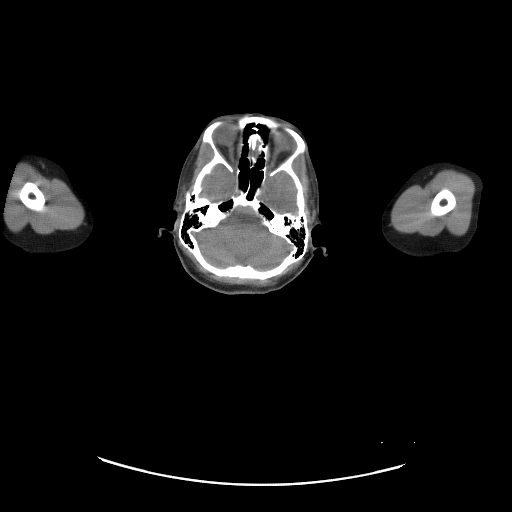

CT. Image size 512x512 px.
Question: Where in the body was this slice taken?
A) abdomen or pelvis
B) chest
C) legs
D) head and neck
Answer: D) head and neck
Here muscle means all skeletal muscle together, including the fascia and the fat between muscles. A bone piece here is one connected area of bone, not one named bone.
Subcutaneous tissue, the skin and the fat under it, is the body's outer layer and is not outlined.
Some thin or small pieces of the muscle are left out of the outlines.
The head is outlined by (242, 111) (272, 114) (302, 131) (317, 177) (323, 223) (312, 230) (311, 237) (328, 255) (316, 249) (296, 278) (261, 295) (230, 295) (201, 285) (183, 268) (172, 235) (163, 230) (157, 236) (160, 227) (171, 229) (174, 225) (171, 206) (179, 174) (205, 126) (218, 115); inner edges: (250, 124) (252, 125) (251, 132) (245, 141) (247, 146) (245, 158) (248, 162) (248, 168) (253, 169) (260, 158) (263, 160) (260, 169) (262, 177) (254, 188) (251, 197) (249, 197) (251, 184) (248, 182) (243, 188) (239, 179) (241, 171) (239, 164) (245, 144) (244, 132), then (258, 125) (263, 125) (264, 126) (265, 126) (267, 128) (267, 139) (266, 140) (265, 140) (264, 139) (264, 138) (262, 136) (262, 135) (260, 133) (260, 129) (259, 128) (259, 127) (258, 126), then (194, 217) (195, 217) (195, 218) (196, 219) (196, 220) (195, 221) (195, 222) (194, 223) (192, 223) (190, 225) (188, 225) (188, 224) (187, 223) (186, 223) (185, 222) (185, 220) (186, 219) (186, 218) (189, 221) (190, 220) (191, 220). The right arm is outlined by (24, 151) (37, 152) (47, 156) (57, 162) (65, 170) (71, 183) (78, 193) (88, 202) (93, 214) (93, 229) (89, 237) (79, 246) (59, 253) (32, 254) (23, 251) (11, 244) (4, 238) (2, 233) (2, 221) (6, 197) (14, 170) (22, 152). The left arm is outlined by (440, 160) (451, 160) (467, 166) (474, 170) (481, 177) (483, 182) (483, 190) (481, 195) (476, 231) (469, 244) (465, 248) (458, 252) (444, 253) (431, 257) (414, 257) (406, 255) (392, 247) (384, 238) (380, 225) (380, 219) (382, 212) (393, 195) (416, 170) (426, 164). The brain appears in 3 outlined pieces: piece 1: (238, 207) (250, 208) (255, 216) (258, 218) (259, 223) (262, 226) (267, 228) (270, 233) (281, 238) (289, 246) (289, 250) (277, 264) (264, 269) (257, 268) (251, 264) (242, 263) (219, 266) (210, 262) (202, 253) (196, 234) (205, 229) (216, 227) (220, 222) (228, 218); piece 2: (281, 172) (284, 172) (288, 176) (289, 176) (293, 183) (293, 186) (295, 189) (295, 206) (296, 207) (295, 212) (292, 212) (291, 211) (279, 211) (272, 205) (269, 203) (267, 203) (261, 197) (262, 196) (262, 193) (266, 187) (268, 180) (269, 180) (270, 178) (272, 178); piece 3: (217, 165) (221, 165) (223, 166) (231, 175) (231, 177) (233, 180) (233, 191) (230, 193) (229, 195) (227, 196) (227, 197) (220, 197) (217, 199) (211, 199) (209, 197) (201, 194) (203, 190) (203, 181) (204, 180) (204, 178) (206, 176) (209, 175) (213, 171) (214, 168). The bones appear in 3 outlined pieces: piece 1: (245, 115) (271, 118) (299, 134) (306, 146) (305, 151) (294, 159) (292, 167) (304, 188) (307, 223) (310, 230) (307, 249) (299, 260) (288, 265) (282, 273) (265, 279) (216, 275) (205, 269) (180, 243) (178, 237) (178, 221) (184, 208) (186, 192) (202, 167) (213, 156) (211, 147) (207, 143) (202, 143) (205, 129) (214, 122) (223, 122) (214, 130) (212, 139) (219, 152) (233, 165) (238, 158) (238, 144) (242, 136) (242, 131) (238, 128) (238, 120) with holes at (238, 207) (250, 208) (255, 216) (258, 218) (259, 223) (262, 226) (267, 228) (270, 233) (281, 238) (289, 246) (289, 250) (277, 264) (264, 269) (257, 268) (251, 264) (242, 263) (219, 266) (210, 262) (202, 253) (196, 234) (205, 229) (216, 227) (220, 222) (228, 218) and at (281, 172) (284, 172) (288, 176) (289, 176) (293, 183) (293, 186) (295, 189) (295, 206) (296, 207) (295, 212) (292, 212) (291, 211) (279, 211) (272, 205) (269, 203) (267, 203) (261, 197) (262, 196) (262, 193) (266, 187) (268, 180) (269, 180) (270, 178) (272, 178) and at (217, 165) (221, 165) (223, 166) (231, 175) (231, 177) (233, 180) (233, 191) (230, 193) (229, 195) (227, 196) (227, 197) (220, 197) (217, 199) (211, 199) (209, 197) (201, 194) (203, 190) (203, 181) (204, 180) (204, 178) (206, 176) (209, 175) (213, 171) (214, 168) and at (258, 125) (263, 125) (267, 128) (267, 137) (268, 138) (270, 135) (275, 136) (277, 135) (279, 133) (278, 129) (281, 127) (290, 136) (294, 145) (294, 148) (292, 152) (281, 162) (272, 168) (269, 163) (270, 144) (268, 140) (267, 139) (265, 140) (260, 133) (260, 129) and at (250, 124) (252, 125) (251, 132) (245, 141) (247, 146) (245, 158) (248, 162) (248, 168) (253, 169) (260, 158) (263, 160) (260, 169) (262, 177) (254, 188) (251, 197) (249, 197) (251, 184) (248, 182) (243, 188) (239, 179) (241, 171) (239, 164) (245, 144) (244, 132) and at (194, 217) (195, 217) (195, 218) (196, 219) (196, 220) (195, 221) (195, 222) (194, 223) (192, 223) (190, 225) (188, 225) (188, 224) (187, 223) (186, 223) (185, 222) (185, 220) (186, 219) (186, 218) (189, 221) (190, 220) (191, 220); piece 2: (27, 181) (30, 181) (31, 182) (35, 182) (37, 183) (37, 185) (39, 189) (44, 195) (44, 197) (45, 198) (45, 207) (42, 211) (35, 211) (34, 210) (32, 210) (28, 208) (20, 200) (17, 194) (17, 192) (22, 187) (22, 186) (25, 183) (25, 182); piece 3: (443, 188) (447, 188) (449, 189) (453, 193) (453, 194) (455, 196) (455, 199) (456, 200) (455, 206) (451, 210) (450, 210) (443, 215) (441, 215) (440, 216) (432, 216) (430, 214) (430, 206) (431, 205) (432, 199) (434, 197) (434, 196) (441, 189). The muscle appears in 5 outlined pieces: piece 1: (438, 168) (439, 169) (451, 168) (463, 172) (469, 175) (472, 178) (475, 184) (475, 191) (472, 200) (472, 215) (467, 231) (463, 235) (461, 235) (457, 238) (441, 238) (440, 239) (399, 233) (390, 225) (390, 213) (396, 200) (408, 187) (413, 185) (414, 183) (424, 176) with a hole at (443, 188) (447, 188) (449, 189) (453, 193) (453, 194) (455, 196) (455, 199) (456, 200) (455, 206) (451, 210) (450, 210) (443, 215) (441, 215) (440, 216) (432, 216) (430, 214) (430, 206) (431, 205) (432, 199) (434, 197) (434, 196) (441, 189); piece 2: (19, 158) (33, 162) (42, 166) (54, 176) (62, 180) (68, 186) (72, 193) (81, 203) (85, 212) (84, 222) (79, 228) (63, 236) (57, 236) (56, 237) (37, 239) (36, 240) (31, 238) (10, 234) (2, 223) (3, 212) (10, 182) (12, 179) (12, 176), around a hole outlined by (27, 181) (30, 181) (31, 182) (35, 182) (37, 183) (37, 185) (39, 189) (44, 195) (44, 197) (45, 198) (45, 207) (42, 211) (35, 211) (34, 210) (32, 210) (28, 208) (20, 200) (17, 194) (17, 192) (22, 187) (22, 186) (25, 183) (25, 182); piece 3: (180, 244) (194, 257) (198, 263) (205, 270) (219, 277) (265, 280) (282, 274) (288, 266) (299, 261) (303, 257) (303, 259) (299, 265) (292, 272) (272, 285) (260, 286) (259, 287) (241, 284) (228, 285) (210, 281) (196, 271) (191, 264) (190, 260) (182, 250); piece 4: (201, 139) (201, 143) (202, 144) (207, 144) (210, 147) (212, 152) (212, 156) (211, 158) (201, 167) (197, 173) (194, 181) (191, 184) (190, 187) (186, 190) (184, 195) (184, 204) (182, 209) (180, 208) (178, 203) (182, 184) (184, 181) (184, 178) (188, 168) (188, 165); piece 5: (305, 152) (306, 152) (310, 168) (313, 193) (314, 194) (314, 200) (315, 201) (315, 216) (309, 226) (308, 216) (307, 215) (308, 211) (306, 207) (306, 199) (305, 198) (305, 188) (303, 186) (299, 176) (293, 167) (293, 163) (295, 159) (298, 156) (303, 154).